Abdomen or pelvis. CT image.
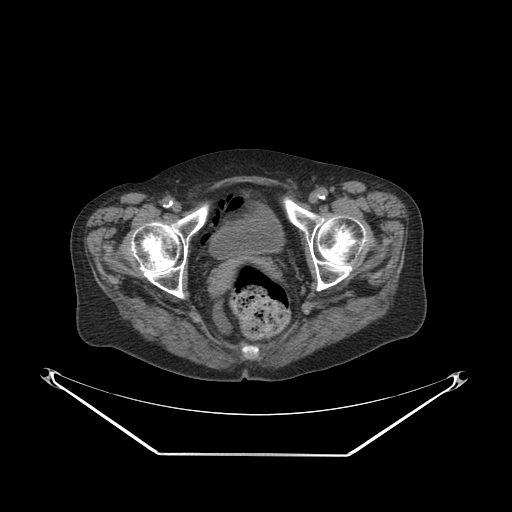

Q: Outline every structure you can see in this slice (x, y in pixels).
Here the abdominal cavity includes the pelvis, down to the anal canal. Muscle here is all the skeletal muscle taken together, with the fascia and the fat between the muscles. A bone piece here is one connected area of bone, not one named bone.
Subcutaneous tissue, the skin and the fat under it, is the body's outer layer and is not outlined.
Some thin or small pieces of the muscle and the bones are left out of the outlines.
A: Outlines:
abdominal cavity: [[239,182],[278,186],[283,189],[279,201],[286,218],[297,228],[311,277],[310,290],[293,321],[279,335],[266,342],[249,343],[245,340],[231,342],[218,334],[208,325],[192,302],[188,287],[189,255],[192,240],[208,219],[211,202],[207,198],[212,191]]
muscle: [[237,175],[258,175],[275,179],[291,178],[296,182],[304,199],[314,205],[323,204],[337,186],[346,179],[365,180],[397,196],[407,210],[408,233],[395,301],[387,312],[349,336],[278,368],[263,367],[255,361],[243,361],[224,369],[208,367],[149,343],[130,327],[122,319],[115,304],[95,281],[87,260],[83,231],[90,215],[112,195],[139,189],[148,190],[159,206],[175,214],[187,204],[193,186],[205,181]], around a hole outlined by [[239,182],[278,186],[327,219],[353,217],[369,238],[349,274],[316,291],[309,246],[297,229],[310,290],[284,331],[253,344],[254,360],[240,350],[248,341],[218,334],[190,298],[195,233],[184,299],[152,284],[126,248],[141,225],[171,224],[212,191]]
torso: [[232,148],[269,149],[351,166],[402,187],[416,202],[423,222],[427,311],[420,329],[412,336],[384,344],[343,364],[280,381],[195,379],[158,368],[113,347],[85,343],[76,329],[76,296],[69,250],[71,227],[80,210],[111,187],[143,181],[192,157]]
bones 1: [[283,195],[287,195],[301,207],[317,213],[327,219],[334,215],[346,215],[357,219],[364,226],[369,240],[357,259],[353,262],[352,270],[345,278],[338,283],[320,291],[316,291],[316,273],[309,246],[304,233],[291,223],[287,218],[284,208],[280,201]]
bones 2: [[206,201],[210,202],[207,219],[205,223],[190,238],[188,243],[187,259],[182,274],[182,290],[185,298],[181,299],[152,284],[143,275],[138,263],[128,252],[126,247],[134,230],[141,225],[152,221],[160,221],[165,224],[171,224],[176,220],[191,213]]
bones 3: [[245,344],[253,344],[254,345],[256,345],[257,346],[258,346],[258,347],[259,348],[259,355],[258,356],[258,358],[257,359],[255,359],[254,360],[250,360],[249,359],[246,359],[245,358],[244,358],[244,356],[241,352],[240,349],[241,348],[241,347]]